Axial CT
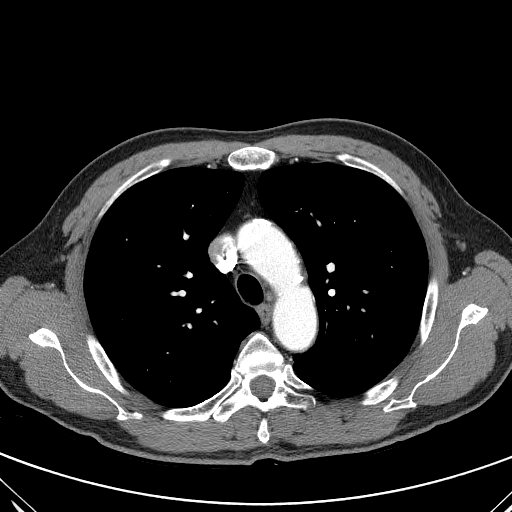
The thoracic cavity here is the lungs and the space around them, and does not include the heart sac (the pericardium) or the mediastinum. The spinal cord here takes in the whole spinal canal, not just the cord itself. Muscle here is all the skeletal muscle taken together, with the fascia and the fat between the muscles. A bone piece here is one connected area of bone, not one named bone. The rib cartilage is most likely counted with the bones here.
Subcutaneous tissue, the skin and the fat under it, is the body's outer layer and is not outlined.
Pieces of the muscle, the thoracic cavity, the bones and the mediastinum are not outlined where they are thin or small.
{"spinal_cord":[[[259,376],[266,376],[267,377],[270,378],[274,382],[274,387],[273,388],[273,390],[272,391],[271,394],[265,399],[261,399],[260,398],[259,398],[256,395],[255,395],[252,392],[252,390],[251,389],[251,387],[250,386],[252,380],[255,379]]],"thoracic_cavity":[[[208,164],[240,171],[244,177],[235,206],[209,242],[206,252],[210,263],[226,276],[241,303],[255,312],[259,324],[243,340],[233,360],[229,379],[218,391],[193,405],[166,408],[122,378],[97,338],[84,295],[85,262],[99,222],[126,190],[169,168]],[[296,156],[342,164],[380,178],[405,200],[424,239],[428,280],[417,334],[408,352],[387,377],[361,395],[340,398],[321,394],[301,379],[292,365],[295,354],[307,352],[316,342],[319,316],[302,255],[295,242],[263,207],[258,194],[258,181],[264,170]]],"torso":[[[320,117],[360,120],[405,138],[439,166],[470,204],[511,236],[511,371],[485,402],[421,435],[373,451],[295,463],[260,459],[247,467],[210,467],[163,463],[112,451],[6,395],[0,388],[0,254],[41,220],[80,169],[112,146],[154,129],[257,130]]],"mediastinum":[[[250,170],[263,170],[257,181],[259,201],[294,242],[315,301],[318,316],[315,342],[307,351],[295,353],[292,363],[286,361],[261,331],[255,331],[253,332],[243,342],[249,334],[259,327],[259,317],[242,303],[227,276],[211,263],[207,252],[240,198],[245,183],[241,171]]],"muscle":[{"outer":[[286,134],[358,138],[405,162],[439,206],[437,220],[445,240],[450,281],[482,250],[491,249],[511,262],[511,330],[497,350],[491,371],[468,393],[449,402],[422,406],[393,432],[366,442],[300,446],[281,442],[239,451],[176,453],[143,446],[112,421],[86,417],[39,397],[26,386],[18,370],[0,359],[0,285],[9,276],[22,275],[34,284],[64,288],[63,221],[105,170],[138,151],[166,142],[213,138],[253,144]],"holes":[[[249,145],[272,150],[280,162],[298,156],[341,164],[335,155],[348,153],[378,166],[405,195],[438,298],[426,340],[420,346],[417,335],[387,376],[399,381],[385,399],[363,405],[361,395],[314,390],[316,404],[307,410],[279,406],[262,413],[248,405],[224,422],[211,416],[167,420],[160,414],[164,406],[123,378],[129,392],[123,394],[94,361],[83,280],[106,201],[153,161],[171,157],[166,169],[224,167],[232,151]],[[470,303],[486,307],[488,309],[487,313],[476,323],[467,324],[461,329],[457,347],[446,365],[434,377],[421,384],[415,390],[412,399],[416,403],[416,406],[384,412],[383,407],[391,399],[406,397],[419,381],[433,372],[445,360],[453,347],[461,312]],[[41,327],[50,329],[55,333],[69,367],[84,383],[105,392],[125,410],[141,413],[142,418],[118,420],[116,418],[118,409],[114,404],[101,394],[88,391],[81,387],[66,370],[61,354],[57,349],[50,346],[44,347],[38,345],[29,338],[30,333]],[[262,416],[265,416],[267,418],[267,428],[268,429],[268,431],[269,432],[269,439],[267,441],[267,442],[266,443],[263,443],[261,441],[260,441],[257,436],[257,431],[258,430],[258,428],[259,427],[259,424],[260,423],[260,420],[261,419],[261,417]]]}],"bones":[{"outer":[[255,332],[264,334],[285,361],[291,364],[294,373],[313,388],[316,397],[314,406],[307,410],[279,406],[262,413],[248,405],[224,422],[216,421],[211,416],[204,421],[175,421],[161,416],[160,412],[164,409],[193,406],[218,392],[229,381],[241,347]],"hole":[[259,376],[266,376],[267,377],[270,378],[274,382],[274,387],[273,388],[273,390],[272,391],[271,394],[265,399],[261,399],[260,398],[259,398],[256,395],[255,395],[252,392],[252,390],[251,389],[251,387],[250,386],[252,380],[255,379]]},[[470,303],[486,307],[488,309],[487,313],[476,323],[467,324],[461,329],[457,347],[446,365],[434,377],[421,384],[415,390],[412,399],[416,403],[416,406],[384,412],[383,407],[391,399],[406,397],[419,381],[433,372],[445,360],[453,347],[461,312]],[[41,327],[50,329],[55,333],[69,367],[84,383],[105,392],[125,410],[141,413],[142,418],[118,420],[116,418],[118,409],[114,404],[101,394],[88,391],[81,387],[66,370],[61,354],[57,349],[50,346],[44,347],[38,345],[29,338],[30,333]],[[249,145],[255,145],[256,146],[259,146],[260,147],[263,147],[264,148],[272,150],[275,152],[279,157],[279,161],[274,163],[270,167],[266,169],[250,169],[249,170],[236,170],[235,169],[233,169],[227,163],[227,156],[232,151],[238,148],[248,146]],[[164,157],[171,157],[172,158],[171,163],[163,170],[153,175],[151,175],[139,182],[137,182],[126,189],[111,204],[98,222],[94,231],[94,227],[96,224],[96,218],[101,208],[106,201],[112,195],[114,191],[126,179],[141,168],[153,161],[156,161]],[[87,333],[92,333],[94,334],[98,340],[99,343],[103,348],[108,358],[113,364],[114,367],[121,377],[121,382],[122,384],[129,392],[129,394],[128,395],[123,394],[116,389],[109,382],[102,372],[98,368],[89,351],[89,349],[86,342],[86,334]],[[432,275],[434,275],[436,277],[438,283],[438,298],[437,299],[437,305],[435,310],[434,319],[428,336],[424,343],[420,346],[419,345],[420,339],[417,335],[418,334],[420,320],[422,315],[422,310],[425,300],[425,296],[427,291],[428,281],[429,278]],[[339,153],[348,153],[351,155],[357,156],[363,159],[365,159],[378,166],[395,181],[402,190],[403,193],[405,195],[406,199],[400,195],[400,194],[393,187],[380,177],[365,170],[343,164],[335,158],[335,155]],[[395,374],[396,374],[398,376],[399,378],[399,381],[398,382],[397,386],[389,396],[388,396],[385,399],[375,404],[363,405],[359,403],[359,401],[362,397],[362,394],[364,392],[365,392],[373,386],[378,384],[380,382],[389,378],[391,376]]]}